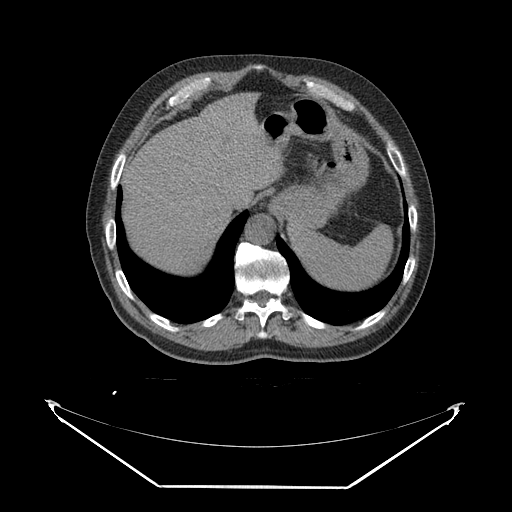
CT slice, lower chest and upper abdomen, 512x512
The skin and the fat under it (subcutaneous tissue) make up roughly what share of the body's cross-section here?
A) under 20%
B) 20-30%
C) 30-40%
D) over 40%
A) under 20%
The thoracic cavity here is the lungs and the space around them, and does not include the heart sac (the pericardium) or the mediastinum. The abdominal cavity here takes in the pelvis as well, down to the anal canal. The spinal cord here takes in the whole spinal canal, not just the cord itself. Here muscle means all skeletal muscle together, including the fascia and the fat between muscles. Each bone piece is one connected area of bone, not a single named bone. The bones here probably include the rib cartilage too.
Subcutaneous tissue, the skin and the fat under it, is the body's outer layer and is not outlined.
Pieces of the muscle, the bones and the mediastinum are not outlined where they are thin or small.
The spinal cord is outlined by 262,290 267,291 270,294 271,294 272,295 272,296 271,297 270,297 268,299 268,300 266,302 266,303 264,306 261,306 260,305 259,305 254,300 253,300 252,299 252,296 255,293 256,293 259,291 261,291. The thoracic cavity appears in 2 outlined pieces: piece 1: 118,185 121,187 120,216 125,239 131,251 156,270 181,278 193,278 203,273 228,225 242,212 248,212 233,256 234,289 227,304 221,311 200,321 178,323 152,311 133,292 121,267 116,247 115,212; piece 2: 400,178 407,203 409,251 401,280 389,300 383,307 363,319 341,325 327,323 306,313 299,306 290,288 289,266 278,250 277,238 281,238 305,274 319,286 343,293 369,290 390,275 400,255 404,224 404,198. The torso is outlined by 239,53 315,57 353,69 391,100 419,150 433,198 433,261 422,295 405,324 389,341 363,357 330,362 259,358 224,365 176,359 127,328 100,285 90,256 85,212 96,160 117,114 134,90 163,67 194,56. The muscle is outlined by 249,64 257,72 265,65 339,86 374,116 399,149 390,139 382,145 370,126 351,112 356,107 352,101 306,77 302,81 307,91 268,85 204,90 212,78 194,78 166,99 165,115 127,160 121,151 111,166 115,211 104,225 104,237 107,247 117,251 120,267 114,270 115,279 130,300 135,295 150,310 147,316 155,324 172,333 180,329 171,322 200,322 204,328 215,325 224,317 222,311 235,290 242,300 234,318 242,321 245,313 254,313 260,326 256,335 265,339 272,313 279,312 284,320 293,316 282,301 289,286 300,308 296,312 308,326 323,330 328,324 362,320 350,330 363,330 385,315 384,307 400,283 407,283 416,263 409,252 418,212 405,197 403,156 419,203 419,266 406,299 391,319 356,340 296,347 273,339 252,339 230,350 192,349 134,320 109,278 101,244 101,213 112,162 136,121 152,100 180,78 235,71. The mediastinum appears in 3 outlined pieces: piece 1: 256,210 267,210 267,211 275,218 277,222 277,227 279,231 279,236 276,238 276,246 277,247 277,250 266,248 258,244 255,244 245,240 240,241 238,243 244,225 249,216 249,213 250,212 253,212; piece 2: 331,103 336,107 340,108 344,111 355,114 361,118 367,124 367,125 369,126 379,140 379,142 381,145 384,148 387,157 393,168 384,159 382,155 377,150 370,146 352,129 339,120 339,118 333,109; piece 3: 200,91 201,91 197,95 196,95 191,100 190,100 188,102 184,104 172,115 170,115 169,116 164,117 164,116 166,115 166,112 167,112 168,110 173,108 175,106 177,106 185,102 190,97 193,96 194,94. The abdominal cavity is outlined by 254,86 307,92 324,98 338,120 397,173 403,198 401,247 394,268 377,285 343,292 316,283 280,237 278,222 267,209 238,214 225,228 203,272 193,277 156,269 128,245 119,182 126,161 150,130 202,91. The bones appear in 13 outlined pieces: piece 1: 243,241 278,251 285,259 289,270 288,287 281,295 281,301 292,312 292,316 284,319 279,311 272,312 265,322 265,338 257,335 261,326 254,312 245,312 242,320 235,318 243,295 235,289 234,256 237,245, around a hole outlined by 262,290 267,291 270,294 271,294 272,295 272,296 271,297 270,297 268,299 268,300 266,302 266,303 264,306 261,306 260,305 259,305 254,300 253,300 252,299 252,296 255,293 256,293 259,291 261,291; piece 2: 206,76 210,77 212,80 211,81 210,85 206,89 197,91 194,93 193,95 190,96 185,101 177,105 172,106 168,109 166,109 165,108 167,99 183,85 188,83 194,79 198,79 199,78 202,78; piece 3: 305,78 311,81 313,81 316,83 322,84 337,94 342,96 345,99 349,100 354,104 355,106 354,109 351,111 344,110 340,107 336,106 333,103 324,97 317,96 310,93 307,90 305,83 303,81; piece 4: 387,140 390,140 397,147 397,148 401,153 402,159 403,160 404,166 405,167 405,171 406,172 406,176 404,179 401,179 398,173 392,165 388,157 388,155 385,149 386,147 386,142; piece 5: 121,152 124,152 125,153 126,155 126,160 125,161 123,169 121,172 121,175 119,178 118,184 116,188 114,190 113,190 111,188 111,186 110,185 110,175 111,174 111,170 112,169 112,166 115,160; piece 6: 110,217 112,217 113,218 114,218 114,220 115,221 115,231 116,232 116,238 115,239 115,247 113,249 112,249 111,250 108,247 108,246 107,245 107,242 106,241 106,238 105,237 105,225 106,224 108,219; piece 7: 382,308 383,308 385,310 385,313 384,315 378,321 372,324 370,326 368,326 363,329 360,329 359,330 356,330 355,331 353,331 351,330 352,328 360,324 361,322 365,318 377,312; piece 8: 117,268 121,268 121,269 125,276 125,278 130,287 130,289 132,291 132,292 134,295 134,300 132,300 131,299 130,299 124,293 124,292 121,289 121,288 116,279 116,276 115,275 115,270; piece 9: 150,311 168,319 170,321 170,322 174,326 175,326 176,327 178,327 179,330 178,331 176,331 175,332 172,332 171,331 170,331 167,329 165,329 163,327 158,325 156,323 155,323 148,316 148,313; piece 10: 299,309 302,310 306,314 311,316 313,318 317,320 319,320 322,322 324,322 326,323 327,324 327,326 323,329 320,329 319,328 315,328 312,326 310,326 308,325 303,320 301,316 297,312 297,310; piece 11: 410,254 412,254 414,256 414,258 415,259 415,263 414,264 414,266 413,267 412,272 408,280 405,284 402,284 401,281 402,280 402,277 403,276 403,272 404,271 405,264; piece 12: 409,204 413,204 414,205 414,206 415,207 415,208 416,209 416,211 417,212 417,223 416,224 416,229 415,230 415,231 414,232 411,232 410,231 410,226 409,225 409,219 408,218 408,205; piece 13: 220,312 221,312 223,314 223,317 221,319 220,319 215,324 214,324 211,326 209,326 208,327 204,327 201,325 201,321 202,321 203,320 204,320 205,319 206,319 207,318 208,318 215,314 217,314.